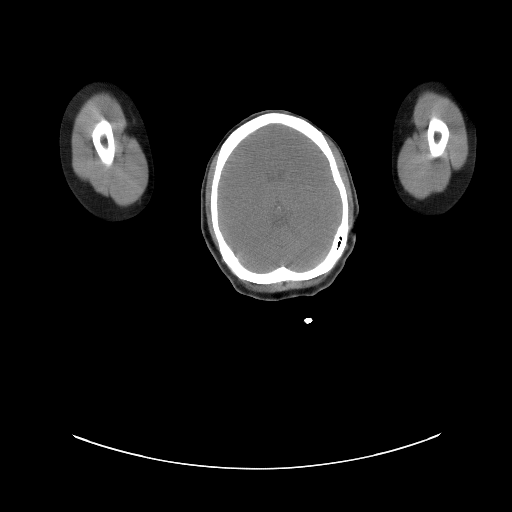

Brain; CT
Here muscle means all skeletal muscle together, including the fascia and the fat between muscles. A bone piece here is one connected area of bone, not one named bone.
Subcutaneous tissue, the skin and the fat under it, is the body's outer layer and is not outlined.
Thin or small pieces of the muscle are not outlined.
{"bones":[{"outer":[[267,112],[282,112],[302,117],[313,124],[323,133],[334,156],[347,195],[347,219],[349,232],[344,251],[329,271],[306,280],[288,280],[269,284],[259,284],[240,279],[230,270],[222,259],[212,225],[210,196],[218,151],[224,140],[235,128],[244,122]],"hole":[[271,124],[279,124],[291,128],[301,133],[317,146],[327,160],[330,174],[340,199],[340,221],[329,249],[322,259],[303,270],[291,269],[283,264],[267,271],[249,269],[240,261],[227,243],[219,224],[219,184],[226,162],[235,148],[245,138],[260,128]]},[[104,120],[107,120],[112,124],[112,131],[113,132],[114,142],[115,143],[114,159],[112,164],[109,167],[106,167],[102,163],[99,156],[95,150],[95,148],[93,144],[93,141],[92,140],[92,137],[91,136],[91,132],[93,128]],[[433,115],[440,118],[447,125],[448,129],[449,130],[449,137],[448,138],[448,141],[445,147],[444,152],[442,154],[442,155],[438,157],[430,157],[429,155],[430,154],[429,153],[429,147],[428,146],[427,135],[426,134],[430,118]]],"left_arm":[[[426,78],[437,78],[441,80],[448,87],[473,121],[476,128],[477,135],[476,161],[471,181],[466,191],[457,203],[446,213],[438,216],[420,215],[408,208],[400,199],[396,192],[393,184],[391,171],[392,131],[396,112],[403,97],[408,90],[414,84]]],"head":[[[264,109],[295,111],[329,134],[345,157],[356,190],[359,205],[358,221],[364,226],[365,236],[362,235],[359,228],[356,230],[355,244],[344,267],[328,287],[312,296],[266,301],[239,293],[218,267],[201,232],[201,178],[211,154],[224,134],[238,120]]],"right_arm":[[[94,79],[107,79],[115,82],[121,86],[131,96],[144,122],[152,154],[154,167],[154,189],[151,198],[145,208],[141,212],[129,219],[119,222],[101,221],[88,213],[78,202],[68,187],[64,178],[60,163],[59,129],[64,110],[74,93],[82,85]]],"brain":[[[271,124],[279,124],[291,128],[301,133],[317,146],[327,160],[330,174],[340,199],[340,221],[329,249],[322,259],[303,270],[291,269],[283,264],[267,271],[249,269],[240,261],[227,243],[219,224],[219,184],[226,162],[235,148],[245,138],[260,128]]],"muscle":[{"outer":[[97,91],[108,91],[116,97],[120,102],[124,113],[131,124],[132,133],[137,138],[147,161],[148,166],[147,187],[139,201],[128,207],[117,206],[109,198],[94,191],[89,185],[78,180],[72,172],[70,157],[70,133],[73,123],[73,118],[85,98]],"hole":[[104,120],[107,120],[112,124],[112,131],[113,132],[114,142],[115,143],[114,159],[112,164],[109,167],[106,167],[102,163],[99,156],[95,150],[95,148],[93,144],[93,141],[92,140],[92,137],[91,136],[91,132],[93,128]]},{"outer":[[425,89],[430,89],[447,96],[455,103],[460,110],[468,133],[469,156],[464,167],[453,175],[449,184],[442,192],[433,193],[428,197],[419,200],[409,195],[403,189],[397,173],[397,158],[403,140],[406,135],[406,130],[411,118],[416,98],[418,94]],"hole":[[433,115],[440,118],[447,125],[448,129],[449,130],[449,137],[448,138],[448,141],[445,147],[444,152],[442,154],[442,155],[438,157],[430,157],[429,155],[430,154],[429,153],[429,147],[428,146],[427,135],[426,134],[430,118]]},[[333,268],[327,277],[317,285],[308,288],[302,288],[301,289],[295,289],[294,290],[288,290],[273,293],[262,293],[250,290],[246,288],[237,278],[240,280],[247,281],[254,284],[269,285],[288,281],[293,281],[294,282],[295,281],[310,280],[329,272]],[[326,137],[327,137],[337,148],[342,158],[345,167],[345,170],[348,177],[349,185],[352,195],[352,200],[353,201],[353,221],[350,229],[349,220],[348,219],[348,211],[349,210],[348,207],[348,195],[347,194],[346,187],[341,176],[335,156]],[[217,153],[215,165],[213,170],[213,174],[211,179],[210,195],[209,196],[210,219],[211,220],[211,225],[212,226],[214,237],[217,244],[217,247],[211,236],[208,228],[207,218],[206,217],[206,204],[205,203],[207,174],[210,167],[210,164],[214,156]]]}